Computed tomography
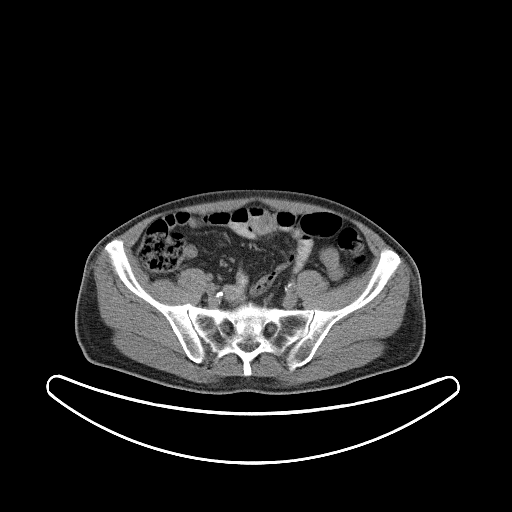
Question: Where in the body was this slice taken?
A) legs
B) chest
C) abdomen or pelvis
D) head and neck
Answer: C) abdomen or pelvis
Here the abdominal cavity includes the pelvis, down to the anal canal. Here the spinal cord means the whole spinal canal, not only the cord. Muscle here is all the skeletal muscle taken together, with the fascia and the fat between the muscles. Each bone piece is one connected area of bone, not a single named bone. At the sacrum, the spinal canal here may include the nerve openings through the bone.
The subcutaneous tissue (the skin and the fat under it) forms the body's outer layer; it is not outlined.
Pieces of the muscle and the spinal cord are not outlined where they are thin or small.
The abdominal cavity is outlined by [[254,201],[299,215],[337,214],[360,230],[373,255],[363,272],[330,288],[318,271],[300,272],[295,292],[303,308],[251,300],[234,308],[198,306],[207,280],[201,269],[186,268],[177,281],[151,281],[132,251],[146,226],[159,216],[178,210],[228,211]]. The muscle appears in 3 outlined pieces: piece 1: [[102,247],[113,271],[122,283],[165,317],[185,355],[192,362],[201,364],[210,354],[214,355],[214,362],[227,354],[235,354],[242,362],[243,376],[226,376],[217,383],[200,383],[138,362],[120,352],[112,343],[112,330],[103,322],[98,309],[92,264]]; piece 2: [[400,256],[410,269],[409,296],[402,324],[384,340],[387,346],[380,356],[364,365],[290,386],[277,385],[272,377],[252,375],[251,362],[261,353],[270,353],[276,356],[285,353],[285,365],[290,372],[308,363],[336,322],[365,306],[380,293],[401,264]]; piece 3: [[252,196],[299,201],[340,212],[367,226],[392,248],[384,247],[380,251],[377,263],[367,283],[362,291],[349,303],[335,309],[304,308],[303,301],[296,292],[296,282],[300,273],[306,270],[318,272],[327,280],[330,289],[345,283],[354,276],[360,275],[370,265],[374,255],[364,234],[355,224],[332,211],[322,210],[313,211],[308,214],[299,214],[286,209],[272,207],[258,200],[250,201],[228,210],[215,210],[205,213],[178,209],[152,219],[131,247],[139,267],[151,282],[157,278],[177,282],[180,273],[189,268],[197,268],[205,274],[205,289],[195,305],[190,302],[179,304],[164,303],[153,297],[140,284],[126,254],[124,241],[121,238],[115,237],[143,219],[166,210]]. The spinal cord appears in 2 outlined pieces: piece 1: [[267,323],[271,323],[272,324],[274,324],[275,325],[275,330],[272,333],[272,334],[271,335],[266,335],[265,334],[265,328],[266,327],[266,324]]; piece 2: [[225,320],[227,320],[231,324],[231,325],[232,326],[232,329],[231,330],[231,332],[230,333],[228,333],[227,332],[226,332],[222,328],[222,324],[224,322],[224,321]]. The bones are outlined by [[114,238],[153,298],[209,309],[251,301],[335,310],[363,291],[384,248],[401,261],[374,298],[331,326],[308,362],[290,371],[285,352],[261,352],[244,376],[235,353],[216,361],[210,353],[201,363],[186,355],[166,317],[114,271],[104,250]], around holes outlined by [[246,342],[250,342],[251,343],[254,343],[255,342],[257,342],[258,343],[258,344],[253,349],[252,349],[249,351],[246,351],[245,350],[244,350],[243,349],[242,349],[241,348],[240,348],[238,345],[238,344],[239,343],[240,343],[241,344],[243,344]] and by [[267,323],[271,323],[272,324],[274,324],[275,325],[275,330],[272,333],[272,334],[271,335],[266,335],[265,334],[265,328],[266,327],[266,324]] and by [[225,320],[227,320],[231,324],[231,325],[232,326],[232,329],[231,330],[231,332],[230,333],[228,333],[227,332],[226,332],[222,328],[222,324],[224,322],[224,321]]. The torso is outlined by [[225,188],[281,188],[328,197],[364,214],[398,241],[413,258],[421,280],[426,332],[424,344],[417,359],[407,366],[339,387],[293,394],[197,393],[168,387],[89,362],[84,357],[75,337],[74,312],[84,264],[91,249],[111,230],[151,207],[182,196]].